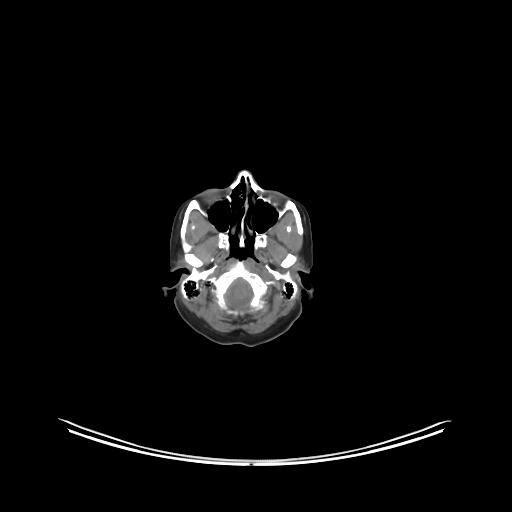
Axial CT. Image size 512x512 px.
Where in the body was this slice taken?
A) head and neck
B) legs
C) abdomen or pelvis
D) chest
Answer: A) head and neck
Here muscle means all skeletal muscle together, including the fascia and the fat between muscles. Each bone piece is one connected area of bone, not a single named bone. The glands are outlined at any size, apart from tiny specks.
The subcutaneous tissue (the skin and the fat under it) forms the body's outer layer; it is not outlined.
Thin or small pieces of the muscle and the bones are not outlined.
{"brain":[[[239,278],[245,281],[250,286],[250,288],[252,292],[252,296],[249,300],[249,301],[245,305],[243,305],[240,307],[234,307],[230,305],[228,303],[228,302],[226,300],[225,295],[226,294],[226,292],[228,288],[231,285],[231,284],[235,280]]],"parotid_glands":[[[300,257],[303,257],[303,258],[304,259],[304,261],[305,262],[305,266],[304,267],[303,267],[302,268],[296,268],[296,262],[297,261],[297,259],[298,258],[299,258]],[[178,251],[180,251],[181,252],[181,256],[182,257],[182,258],[183,259],[183,260],[184,261],[184,264],[183,265],[182,265],[181,266],[178,266],[177,265],[177,252]]],"bones":[{"outer":[[241,170],[279,207],[296,205],[303,234],[291,211],[276,221],[259,199],[252,227],[271,227],[266,246],[254,251],[246,233],[240,248],[238,226],[229,253],[210,223],[230,226],[229,203],[208,219],[190,212],[185,240],[200,271],[212,257],[215,276],[244,259],[268,281],[266,264],[284,273],[286,254],[297,258],[294,299],[280,296],[280,279],[265,307],[234,315],[203,280],[183,298],[180,228],[192,199],[206,210]],"holes":[[[239,278],[245,281],[250,286],[250,288],[252,292],[252,296],[249,300],[249,301],[245,305],[243,305],[240,307],[234,307],[230,305],[228,303],[228,302],[226,300],[225,295],[226,294],[226,292],[228,288],[231,285],[231,284],[235,280]],[[236,199],[237,199],[238,200],[239,200],[241,202],[241,204],[240,205],[240,208],[241,209],[241,215],[239,218],[239,221],[237,218],[237,217],[238,216],[238,211],[237,210],[234,210],[233,209],[233,203],[234,202],[234,200],[235,200]],[[242,180],[242,181],[243,182],[243,190],[243,189],[242,188],[241,189],[240,189],[237,192],[237,193],[234,196],[233,195],[232,195],[232,194],[233,193],[233,190],[237,186],[238,186],[241,183],[241,182],[242,181]]]}],"head":[{"outer":[[242,169],[262,188],[305,206],[313,241],[311,271],[299,272],[305,287],[313,283],[312,299],[303,290],[302,312],[292,326],[256,346],[218,344],[197,333],[177,312],[175,291],[163,296],[161,288],[187,270],[169,269],[180,204],[206,188],[227,187]],"holes":[[[259,200],[269,204],[275,210],[277,214],[276,216],[276,220],[273,224],[273,225],[270,226],[267,229],[266,229],[265,231],[263,231],[262,232],[259,232],[257,230],[254,229],[253,227],[253,216],[254,215],[254,211],[256,207],[256,204]],[[223,200],[225,200],[228,203],[228,206],[231,210],[231,213],[232,214],[232,217],[233,218],[229,226],[224,231],[222,231],[221,230],[219,230],[217,229],[217,228],[209,220],[209,215],[208,214],[208,211],[214,204],[215,204],[217,202],[219,202]],[[238,227],[238,242],[237,243],[237,246],[240,249],[242,249],[245,247],[246,245],[245,244],[246,234],[248,234],[253,237],[253,243],[252,244],[253,257],[247,256],[244,258],[238,258],[232,256],[230,254],[230,250],[231,249],[230,236],[235,233]],[[236,199],[237,199],[238,200],[239,200],[241,202],[241,204],[240,205],[240,208],[241,209],[241,215],[239,218],[239,221],[237,218],[237,217],[238,216],[238,211],[237,210],[234,210],[233,209],[233,203],[234,202],[234,200],[235,200]],[[242,180],[242,181],[243,182],[243,190],[243,189],[242,188],[241,189],[240,189],[237,192],[237,193],[234,196],[233,195],[232,195],[232,194],[233,193],[233,190],[237,186],[238,186],[241,183],[241,182],[242,181]]]}],"muscle":[[[280,280],[279,296],[294,300],[298,293],[295,305],[286,316],[258,334],[221,333],[206,327],[180,299],[180,293],[188,300],[201,292],[200,281],[203,281],[209,285],[208,291],[221,310],[227,315],[242,316],[265,308],[265,296],[270,286],[275,286]],[[299,209],[305,218],[303,256],[297,257],[288,251],[279,264],[286,269],[284,272],[266,263],[264,267],[273,279],[265,280],[259,273],[246,266],[245,258],[253,258],[254,252],[267,246],[268,231],[289,211],[293,216],[297,233],[302,236],[304,227]],[[193,210],[196,210],[207,219],[215,229],[217,238],[216,246],[219,249],[223,249],[235,258],[229,267],[218,275],[214,274],[218,265],[212,256],[209,259],[212,264],[207,268],[201,270],[199,269],[204,263],[193,251],[193,246],[186,240],[189,217]]]}